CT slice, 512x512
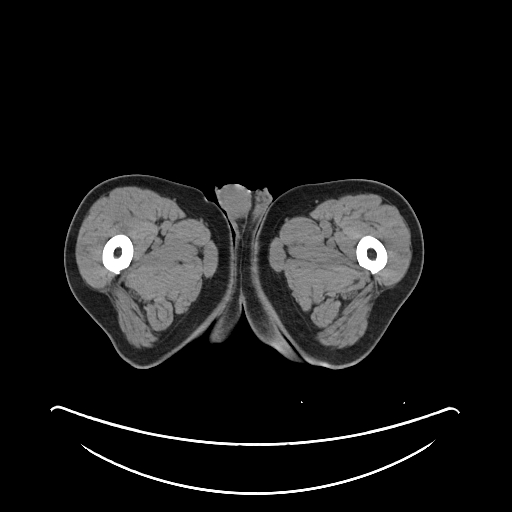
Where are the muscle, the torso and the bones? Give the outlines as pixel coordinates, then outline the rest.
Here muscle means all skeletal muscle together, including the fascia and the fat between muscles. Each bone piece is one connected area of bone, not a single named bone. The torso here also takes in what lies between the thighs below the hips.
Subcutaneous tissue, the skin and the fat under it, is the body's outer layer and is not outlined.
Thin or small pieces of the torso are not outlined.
{"muscle":[{"outer":[[121,186],[147,188],[164,197],[174,199],[203,219],[212,232],[218,250],[217,268],[188,313],[161,341],[152,347],[143,349],[134,348],[128,343],[119,327],[117,313],[112,304],[104,294],[85,283],[79,273],[75,259],[78,232],[89,208],[102,194]],"hole":[[116,234],[125,234],[131,240],[132,244],[133,245],[133,255],[132,256],[132,259],[129,265],[126,268],[122,269],[118,274],[115,274],[113,272],[108,270],[103,265],[103,263],[102,262],[102,250],[103,249],[103,247],[105,243],[112,236]]},{"outer":[[361,192],[378,194],[396,206],[410,230],[412,255],[408,269],[402,279],[375,300],[369,314],[367,328],[363,336],[351,346],[341,349],[332,349],[313,340],[292,300],[287,285],[271,269],[268,261],[267,248],[277,230],[286,218],[302,213],[326,199]],"hole":[[365,235],[371,235],[377,238],[384,245],[387,252],[387,261],[386,262],[386,264],[380,270],[379,270],[374,274],[373,274],[368,269],[366,269],[362,267],[358,263],[358,261],[356,257],[356,246],[357,245],[357,243],[358,241],[363,236]]}],"torso":[[[225,184],[239,184],[250,190],[261,187],[266,187],[273,198],[277,197],[275,201],[262,216],[261,221],[252,237],[240,250],[240,247],[236,239],[233,236],[232,228],[227,220],[226,216],[216,203],[218,201],[215,194],[214,188],[215,186],[220,187]]],"bones":[[[116,234],[125,234],[131,240],[132,244],[133,245],[133,255],[132,256],[132,259],[129,265],[126,268],[122,269],[118,274],[115,274],[113,272],[108,270],[103,265],[103,263],[102,262],[102,250],[103,249],[103,247],[105,243],[112,236]],[[365,235],[371,235],[377,238],[384,245],[387,252],[387,261],[386,262],[386,264],[380,270],[379,270],[374,274],[373,274],[368,269],[366,269],[362,267],[358,263],[358,261],[356,257],[356,246],[357,245],[357,243],[358,241],[363,236]]],"left_leg":[[[346,178],[364,178],[385,183],[396,189],[409,202],[418,218],[423,234],[422,271],[416,286],[375,347],[362,360],[339,369],[296,363],[273,347],[262,343],[250,328],[244,313],[244,293],[240,281],[240,251],[253,237],[263,216],[280,194],[301,184]]],"right_leg":[[[124,174],[154,175],[199,189],[221,210],[239,247],[239,281],[243,293],[243,313],[233,333],[221,343],[209,344],[206,332],[199,339],[163,362],[148,368],[133,367],[118,355],[107,335],[72,294],[64,270],[65,238],[79,203],[86,193],[98,183]]]}